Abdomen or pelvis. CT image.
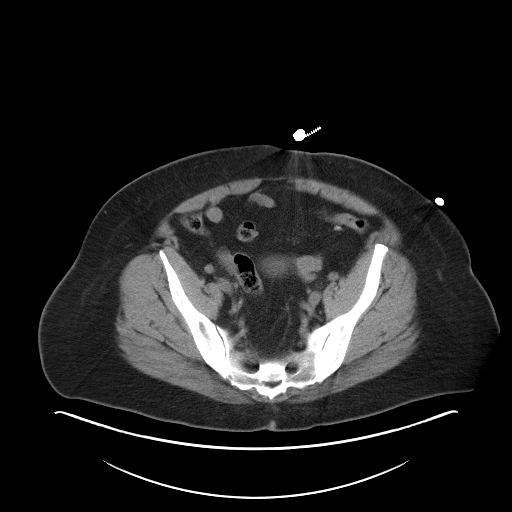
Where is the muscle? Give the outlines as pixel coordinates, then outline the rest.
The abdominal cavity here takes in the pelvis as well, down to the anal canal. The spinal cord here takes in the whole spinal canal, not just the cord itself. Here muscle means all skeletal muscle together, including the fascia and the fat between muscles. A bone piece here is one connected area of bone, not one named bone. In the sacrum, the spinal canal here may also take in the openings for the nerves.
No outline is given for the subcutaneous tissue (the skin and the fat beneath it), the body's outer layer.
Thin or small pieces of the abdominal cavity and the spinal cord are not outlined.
The muscle appears in 2 outlined pieces: piece 1: (282, 175) (313, 178) (347, 189) (377, 207) (397, 226) (403, 253) (417, 276) (420, 339) (414, 351) (378, 376) (303, 403) (225, 403) (154, 378) (130, 365) (121, 356) (115, 338) (114, 323) (120, 303) (118, 279) (128, 261) (149, 242) (160, 219) (182, 201) (220, 184); inner edge: (264, 181) (286, 181) (382, 222) (348, 272) (324, 287) (328, 321) (359, 297) (375, 243) (388, 247) (376, 295) (354, 326) (341, 365) (321, 382) (290, 386) (271, 400) (232, 385) (205, 362) (158, 253) (164, 251) (193, 305) (217, 319) (223, 292) (178, 251) (169, 220); piece 2: (233, 338) (236, 342) (239, 348) (243, 349) (244, 350) (252, 351) (256, 353) (259, 357) (259, 359) (258, 360) (257, 359) (250, 359) (249, 358) (246, 358) (245, 359) (242, 362) (242, 363) (242, 359) (243, 354) (241, 351) (239, 350) (236, 350) (235, 349) (234, 347) (234, 341) (233, 340). The abdominal cavity is outlined by (264, 181) (286, 181) (301, 193) (374, 215) (382, 227) (367, 238) (365, 249) (348, 272) (324, 287) (321, 302) (327, 321) (306, 334) (304, 347) (260, 358) (239, 347) (213, 321) (224, 305) (223, 292) (198, 275) (178, 251) (178, 238) (169, 220) (174, 214) (241, 196). The bones are outlined by (375, 243) (388, 247) (380, 283) (353, 328) (341, 365) (321, 382) (290, 386) (271, 400) (254, 388) (232, 385) (205, 362) (172, 300) (158, 253) (164, 251) (187, 297) (228, 332) (242, 354) (242, 366) (254, 373) (260, 359) (302, 350) (309, 332) (352, 307) (364, 286), around holes outlined by (291, 364) (293, 364) (294, 365) (295, 365) (296, 366) (296, 367) (297, 368) (297, 370) (296, 371) (296, 372) (295, 373) (294, 373) (293, 374) (291, 374) (290, 373) (289, 373) (288, 372) (288, 371) (287, 370) (287, 368) (288, 367) (288, 366) (289, 365) (290, 365) and by (267, 382) (278, 382) (278, 383) (277, 384) (276, 384) (275, 385) (274, 385) (273, 386) (269, 386) (268, 385) (266, 385) (265, 384) (265, 383) (266, 383). The spinal cord appears in 2 outlined pieces: piece 1: (246, 359) (249, 359) (250, 360) (257, 360) (259, 362) (258, 363) (258, 368) (254, 372) (248, 372) (245, 369) (245, 368) (243, 366) (243, 362); piece 2: (291, 364) (293, 364) (294, 365) (295, 365) (296, 366) (296, 367) (297, 368) (297, 370) (296, 371) (296, 372) (295, 373) (294, 373) (293, 374) (291, 374) (290, 373) (289, 373) (288, 372) (288, 371) (287, 370) (287, 368) (288, 367) (288, 366) (289, 365) (290, 365). The torso is outlined by (248, 144) (343, 153) (370, 161) (396, 174) (447, 211) (464, 236) (472, 270) (490, 297) (500, 326) (471, 391) (417, 400) (331, 425) (251, 432) (156, 420) (65, 398) (54, 391) (41, 368) (38, 321) (47, 298) (75, 259) (100, 207) (126, 183) (164, 163) (207, 149).